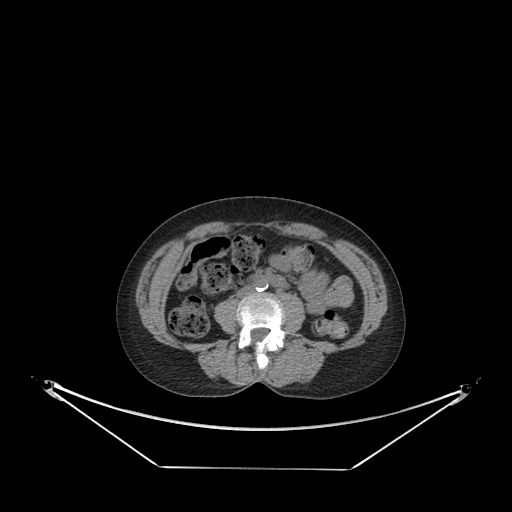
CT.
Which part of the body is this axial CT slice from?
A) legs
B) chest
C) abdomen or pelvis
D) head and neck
Answer: C) abdomen or pelvis
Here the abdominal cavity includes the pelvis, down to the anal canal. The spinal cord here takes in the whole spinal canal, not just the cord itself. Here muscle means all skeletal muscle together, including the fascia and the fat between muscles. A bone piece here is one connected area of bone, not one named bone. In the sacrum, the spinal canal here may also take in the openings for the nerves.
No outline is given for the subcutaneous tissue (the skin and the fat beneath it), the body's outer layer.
{"bones":[{"outer":[[252,293],[273,294],[280,301],[284,315],[281,328],[288,332],[283,340],[282,348],[266,352],[269,360],[263,369],[258,368],[256,352],[253,344],[243,348],[238,347],[239,331],[242,327],[241,323],[237,320],[236,311],[238,303],[242,298]],"hole":[[255,328],[266,328],[267,329],[268,329],[269,330],[268,331],[268,332],[266,334],[266,335],[261,340],[258,340],[257,341],[255,341],[254,342],[253,342],[252,341],[252,338],[251,337],[251,331],[253,329],[254,329]]}],"abdominal_cavity":[[[251,226],[309,240],[329,250],[352,273],[363,295],[363,314],[350,337],[336,343],[304,335],[299,331],[306,318],[304,303],[290,292],[278,297],[252,292],[239,300],[218,302],[213,318],[224,335],[209,342],[182,341],[168,331],[166,301],[192,247]]],"torso":[[[241,195],[286,197],[326,208],[358,225],[383,251],[401,286],[406,329],[395,363],[373,385],[360,392],[331,399],[285,397],[260,383],[230,396],[186,397],[153,384],[132,365],[120,343],[115,322],[117,289],[132,255],[151,231],[173,214],[205,201]]],"spinal_cord":[[[255,328],[266,328],[267,329],[268,329],[269,330],[268,331],[268,332],[266,334],[266,335],[261,340],[258,340],[257,341],[255,341],[254,342],[253,342],[252,341],[252,338],[251,337],[251,331],[253,329],[254,329]]],"muscle":[{"outer":[[275,220],[313,225],[323,230],[331,238],[347,240],[367,253],[376,262],[383,276],[387,291],[388,307],[386,313],[382,317],[379,327],[366,338],[365,343],[330,354],[317,374],[307,383],[295,382],[282,387],[276,387],[258,378],[240,386],[234,386],[223,379],[215,381],[203,372],[191,352],[174,348],[157,341],[143,326],[135,303],[135,291],[141,270],[160,246],[175,237],[181,236],[197,225],[212,221],[268,222]],"hole":[[251,226],[309,240],[352,273],[363,314],[350,337],[336,343],[304,335],[304,303],[290,292],[277,298],[281,328],[288,332],[283,347],[266,352],[263,369],[253,344],[238,347],[235,298],[213,307],[222,337],[189,342],[168,331],[166,301],[192,247]]}]}